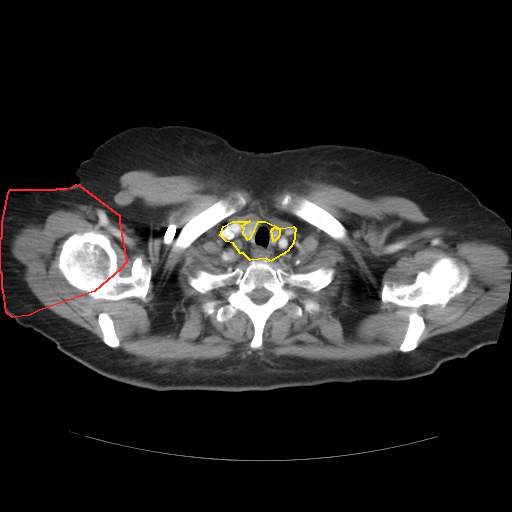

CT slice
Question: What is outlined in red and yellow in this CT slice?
Answer: red: right arm; yellow: middle of the neck.
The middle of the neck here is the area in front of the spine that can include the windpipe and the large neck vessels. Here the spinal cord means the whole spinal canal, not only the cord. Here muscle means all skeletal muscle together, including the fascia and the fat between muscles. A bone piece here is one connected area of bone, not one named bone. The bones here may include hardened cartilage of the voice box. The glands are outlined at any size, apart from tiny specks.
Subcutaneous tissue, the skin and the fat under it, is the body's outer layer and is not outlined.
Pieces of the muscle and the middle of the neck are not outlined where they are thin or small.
The right arm is outlined by 76 184; 79 185; 119 215; 119 222; 126 262; 120 269; 94 291; 39 310; 29 315; 12 317; 6 312; 3 290; 2 289; 2 274; 0 271; 0 239; 2 236; 2 222; 8 192; 10 189; 56 189; 57 188; 66 188; 71 187. The middle of the neck is outlined by 232 221; 249 221; 241 226; 243 227; 242 233; 247 239; 251 237; 258 221; 265 221; 280 228; 293 226; 295 228; 293 243; 287 251; 270 261; 266 258; 250 260; 243 253; 240 253; 233 243; 226 241; 220 235; 223 226, around a hole outlined by 274 227; 275 227; 276 228; 278 228; 279 229; 279 235; 278 236; 278 237; 274 241; 273 241; 273 239; 272 238; 272 233; 271 232; 271 230; 272 229; 272 228; 273 228. The thyroid glands appear in 2 outlined pieces: piece 1: 250 221; 257 221; 258 222; 258 223; 257 223; 253 227; 253 231; 252 232; 250 237; 249 238; 247 238; 244 235; 244 234; 243 233; 243 230; 244 229; 244 227; 243 226; 242 226; 243 226; 244 225; 244 224; 246 222; 249 222; piece 2: 274 227; 275 227; 276 228; 278 228; 279 229; 279 235; 278 236; 278 237; 274 241; 273 241; 273 239; 272 238; 272 233; 271 232; 271 230; 272 229; 272 228; 273 228. The torso is outlined by 141 124; 202 128; 253 151; 316 143; 365 146; 411 157; 459 181; 475 194; 427 232; 418 261; 454 303; 503 320; 497 341; 407 380; 236 392; 142 388; 61 352; 13 318; 94 292; 126 264; 120 215; 78 184; 74 173; 103 141. The bones appear in 7 outlined pieces: piece 1: 262 259; 289 273; 320 267; 334 273; 317 291; 295 288; 301 299; 318 302; 318 311; 292 317; 287 305; 274 310; 261 346; 254 349; 254 327; 246 313; 238 310; 221 322; 202 310; 225 288; 202 293; 188 277; 199 269; 220 274, around a hole outlined by 257 288; 264 288; 266 290; 269 291; 271 293; 271 295; 269 297; 269 298; 265 302; 264 302; 263 303; 261 303; 260 304; 257 304; 256 303; 255 303; 250 298; 250 297; 248 294; 249 293; 250 293; 253 290; 254 290; piece 2: 88 231; 103 234; 109 239; 117 256; 117 270; 121 277; 127 277; 131 274; 133 261; 136 257; 141 256; 142 261; 150 265; 151 277; 145 300; 133 296; 116 300; 94 298; 85 291; 71 285; 66 280; 57 265; 62 244; 72 234; piece 3: 442 256; 450 256; 457 259; 466 266; 469 275; 465 289; 450 299; 444 306; 439 304; 424 304; 414 309; 399 306; 389 301; 383 302; 381 300; 381 290; 385 282; 390 285; 393 283; 398 285; 411 284; 415 281; 419 271; 427 270; piece 4: 235 194; 240 194; 245 199; 246 203; 241 209; 226 217; 212 227; 203 232; 187 247; 185 248; 181 248; 180 247; 178 244; 180 243; 180 240; 182 239; 181 231; 184 226; 194 216; 210 206; 219 199; 226 198; 229 196; 231 196; piece 5: 287 193; 289 193; 293 196; 303 196; 326 210; 344 226; 346 230; 346 237; 341 240; 335 239; 330 236; 323 230; 310 224; 308 222; 303 220; 301 218; 291 213; 287 208; 283 207; 281 205; 281 201; 284 196; piece 6: 413 311; 416 311; 417 313; 423 318; 425 327; 419 338; 419 342; 418 343; 418 345; 414 349; 410 351; 403 352; 399 350; 399 347; 400 346; 400 344; 404 338; 404 336; 407 329; 407 326; 408 325; 408 322; 409 321; 409 314; piece 7: 102 312; 105 312; 107 313; 110 316; 110 317; 113 321; 114 329; 115 330; 116 335; 119 339; 119 346; 116 348; 110 347; 108 345; 107 345; 103 341; 102 339; 102 336; 103 334; 102 333; 101 328; 98 323; 98 316; 99 314. The left arm is outlined by 474 195; 476 195; 479 200; 484 205; 495 211; 504 218; 507 222; 510 230; 510 237; 511 238; 511 276; 509 279; 508 297; 507 298; 505 313; 503 319; 454 302; 426 272; 421 266; 419 261; 419 258; 425 240; 427 237; 428 232. The muscle is outlined by 138 169; 159 175; 197 175; 243 187; 256 196; 306 179; 366 198; 407 198; 430 219; 410 224; 413 230; 445 227; 506 250; 511 264; 507 299; 481 319; 434 335; 419 345; 426 325; 413 310; 408 314; 399 351; 368 359; 320 360; 254 353; 192 362; 139 358; 117 348; 120 339; 107 312; 97 316; 102 341; 42 304; 28 286; 25 266; 11 251; 18 230; 53 205; 112 210; 119 178 with holes at 250 220; 295 228; 289 249; 270 261; 276 266; 289 273; 334 270; 317 291; 295 288; 320 309; 299 317; 287 305; 274 310; 256 349; 246 313; 221 322; 202 310; 224 287; 202 293; 188 282; 199 269; 244 268; 249 258; 220 230 and at 88 231; 103 234; 109 239; 117 256; 117 270; 121 277; 127 277; 131 274; 133 261; 136 257; 141 256; 142 261; 150 265; 151 277; 145 300; 133 296; 116 300; 94 298; 85 291; 71 285; 66 280; 57 265; 62 244; 72 234 and at 442 256; 450 256; 457 259; 466 266; 469 275; 465 289; 450 299; 444 306; 439 304; 424 304; 414 309; 399 306; 389 301; 383 302; 381 300; 381 290; 385 282; 390 285; 393 283; 398 285; 411 284; 415 281; 419 271; 427 270 and at 235 194; 240 194; 245 199; 246 203; 241 209; 226 217; 212 227; 203 232; 187 247; 185 248; 181 248; 180 247; 178 244; 180 243; 180 240; 182 239; 181 231; 184 226; 194 216; 210 206; 219 199; 226 198; 229 196; 231 196 and at 287 193; 289 193; 293 196; 303 196; 326 210; 344 226; 346 230; 346 237; 341 240; 335 239; 330 236; 323 230; 310 224; 308 222; 303 220; 301 218; 291 213; 287 208; 283 207; 281 205; 281 201; 284 196. The spinal cord is outlined by 257 288; 264 288; 266 290; 269 291; 271 293; 271 295; 269 297; 269 298; 265 302; 264 302; 263 303; 261 303; 260 304; 257 304; 256 303; 255 303; 250 298; 250 297; 248 294; 249 293; 250 293; 253 290; 254 290.